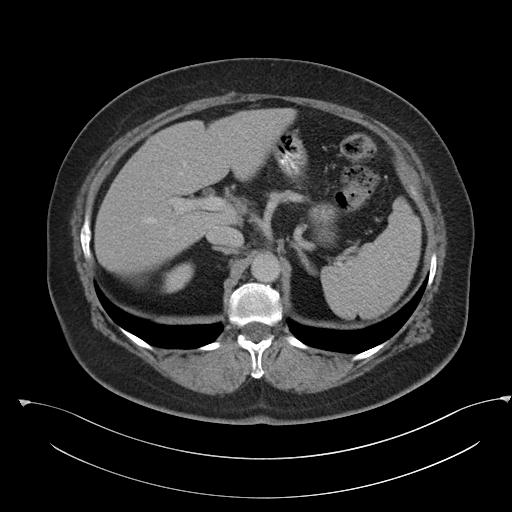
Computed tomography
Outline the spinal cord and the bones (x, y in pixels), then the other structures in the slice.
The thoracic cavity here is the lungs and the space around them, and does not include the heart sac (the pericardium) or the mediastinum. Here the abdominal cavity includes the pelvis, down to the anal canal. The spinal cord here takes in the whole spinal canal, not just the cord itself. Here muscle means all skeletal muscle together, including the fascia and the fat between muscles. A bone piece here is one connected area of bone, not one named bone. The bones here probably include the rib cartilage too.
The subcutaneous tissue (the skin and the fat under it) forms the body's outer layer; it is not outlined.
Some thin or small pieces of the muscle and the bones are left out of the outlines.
spinal cord: (251, 322) (259, 322) (260, 323) (262, 323) (263, 324) (265, 324) (266, 325) (267, 325) (269, 327) (269, 332) (268, 333) (267, 336) (265, 338) (264, 338) (257, 342) (254, 342) (250, 339) (248, 339) (242, 332) (242, 328) (246, 324) (247, 324) (248, 323) (250, 323)
bones 1: (248, 282) (269, 285) (277, 290) (282, 305) (282, 319) (271, 328) (271, 332) (274, 335) (273, 341) (262, 352) (261, 367) (263, 374) (260, 378) (254, 378) (251, 376) (251, 355) (246, 349) (238, 345) (237, 335) (240, 330) (228, 319) (229, 299) (231, 294) (236, 288) with a hole at (251, 322) (259, 322) (260, 323) (262, 323) (263, 324) (265, 324) (266, 325) (267, 325) (269, 327) (269, 332) (268, 333) (267, 336) (265, 338) (264, 338) (257, 342) (254, 342) (250, 339) (248, 339) (242, 332) (242, 328) (246, 324) (247, 324) (248, 323) (250, 323)
bones 2: (86, 209) (88, 209) (89, 210) (89, 225) (90, 226) (90, 230) (91, 231) (91, 237) (90, 238) (90, 241) (89, 242) (89, 248) (88, 249) (89, 260) (85, 259) (84, 257) (82, 247) (81, 246) (81, 242) (80, 241) (80, 230) (84, 221) (84, 214)
bones 3: (120, 326) (124, 329) (125, 329) (127, 331) (137, 336) (148, 344) (151, 345) (154, 348) (154, 351) (152, 351) (147, 348) (142, 347) (136, 344) (134, 342) (133, 342) (125, 334) (124, 334) (120, 330) (119, 328)
bones 4: (385, 341) (387, 341) (386, 343) (379, 350) (378, 350) (373, 354) (370, 355) (368, 357) (366, 357) (362, 359) (359, 359) (358, 360) (352, 360) (351, 359) (353, 355) (355, 354) (357, 354) (358, 353) (360, 353) (363, 351) (365, 351) (370, 348) (372, 348)
bones 5: (433, 252) (434, 252) (436, 254) (436, 268) (435, 269) (435, 274) (433, 277) (433, 280) (432, 281) (432, 282) (431, 283) (430, 286) (428, 288) (426, 288) (426, 286) (427, 285) (427, 281) (428, 280) (428, 275) (429, 274) (429, 265) (430, 264) (430, 257)
bones 6: (287, 334) (291, 334) (292, 335) (293, 335) (301, 342) (302, 342) (304, 344) (305, 344) (310, 347) (308, 349) (303, 349) (302, 348) (300, 348) (299, 347) (297, 347) (296, 346) (294, 346) (293, 345) (290, 344) (286, 340) (285, 340) (285, 339) (284, 338) (284, 337)
bones 7: (217, 339) (220, 342) (220, 346) (219, 347) (218, 347) (215, 349) (211, 349) (210, 350) (198, 350) (197, 349) (197, 348) (198, 347) (200, 347) (201, 346) (203, 346) (204, 345) (206, 345) (207, 344) (209, 344) (210, 343) (211, 343) (212, 342) (215, 341)
muscle: (243, 93) (319, 99) (385, 124) (408, 141) (423, 162) (445, 222) (446, 253) (433, 303) (433, 335) (346, 383) (315, 393) (287, 391) (261, 378) (263, 352) (273, 343) (272, 328) (283, 316) (290, 333) (283, 338) (290, 345) (353, 354) (352, 361) (362, 360) (379, 351) (404, 325) (436, 274) (437, 254) (421, 205) (414, 199) (417, 192) (404, 179) (395, 149) (368, 127) (281, 98) (210, 106) (172, 119) (138, 140) (102, 178) (90, 217) (90, 210) (84, 210) (79, 241) (90, 263) (95, 293) (133, 343) (152, 352) (154, 347) (210, 351) (221, 346) (218, 337) (227, 320) (236, 326) (236, 343) (250, 355) (253, 378) (225, 396) (200, 393) (174, 382) (96, 329) (73, 258) (70, 218) (76, 195) (115, 140) (174, 106)
abdominal cavity: (263, 99) (281, 99) (358, 123) (394, 149) (432, 242) (428, 269) (417, 291) (389, 317) (351, 330) (284, 319) (279, 291) (256, 281) (244, 282) (232, 291) (224, 324) (160, 324) (112, 303) (94, 281) (89, 253) (91, 207) (107, 172) (138, 141) (172, 120) (214, 106)
thoracic cavity 1: (428, 270) (426, 285) (423, 293) (417, 305) (403, 325) (386, 340) (360, 352) (354, 354) (339, 351) (331, 351) (310, 346) (292, 334) (286, 324) (285, 320) (290, 319) (298, 324) (305, 326) (345, 331) (360, 330) (375, 325) (395, 314) (414, 296) (422, 284)
thoracic cavity 2: (94, 282) (97, 284) (103, 295) (112, 304) (125, 312) (138, 318) (160, 325) (192, 325) (193, 324) (212, 324) (220, 322) (224, 325) (223, 330) (215, 340) (198, 346) (196, 348) (167, 348) (166, 347) (153, 346) (137, 335) (119, 325) (112, 319) (100, 302) (96, 293)
torso: (234, 57) (308, 60) (371, 79) (413, 104) (437, 130) (455, 161) (475, 229) (465, 333) (454, 356) (434, 377) (397, 399) (309, 423) (201, 421) (158, 411) (108, 390) (82, 368) (66, 344) (47, 288) (46, 217) (57, 171) (73, 140) (99, 109) (132, 85) (177, 67)